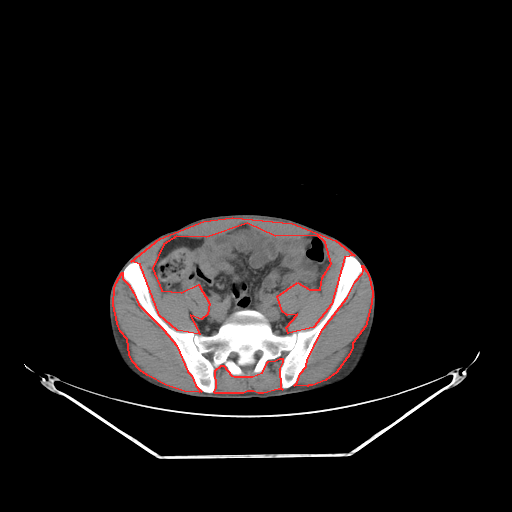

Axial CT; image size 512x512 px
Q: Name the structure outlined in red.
A: red: muscle.
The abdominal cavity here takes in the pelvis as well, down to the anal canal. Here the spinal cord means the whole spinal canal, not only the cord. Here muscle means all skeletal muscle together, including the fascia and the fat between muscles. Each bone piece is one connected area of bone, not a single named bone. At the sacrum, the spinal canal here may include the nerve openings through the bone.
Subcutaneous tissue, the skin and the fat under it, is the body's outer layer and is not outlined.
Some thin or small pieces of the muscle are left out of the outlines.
muscle 1: (232, 217) (292, 223) (335, 240) (354, 255) (344, 257) (331, 304) (313, 327) (288, 333) (286, 327) (297, 314) (287, 315) (282, 311) (277, 296) (297, 282) (309, 289) (320, 289) (322, 277) (331, 263) (325, 242) (317, 235) (275, 236) (247, 223) (206, 237) (176, 236) (163, 244) (152, 268) (161, 290) (181, 292) (198, 284) (209, 303) (207, 314) (201, 319) (190, 315) (199, 334) (177, 330) (159, 315) (140, 264) (131, 261) (160, 238) (203, 221)
muscle 2: (122, 272) (122, 278) (128, 284) (133, 292) (138, 304) (163, 329) (176, 345) (187, 371) (191, 375) (195, 385) (201, 391) (199, 392) (184, 391) (166, 385) (147, 375) (140, 370) (132, 361) (129, 354) (127, 339) (120, 331) (117, 323) (113, 304) (114, 288) (116, 282)
muscle 3: (362, 265) (368, 274) (372, 292) (371, 303) (365, 326) (352, 343) (352, 347) (349, 354) (336, 372) (325, 380) (312, 385) (308, 385) (307, 386) (294, 385) (297, 382) (300, 373) (306, 366) (307, 359) (323, 328) (347, 297) (355, 281) (362, 273) (363, 271)
muscle 4: (279, 358) (282, 358) (282, 362) (279, 368) (280, 387) (282, 389) (278, 389) (263, 393) (258, 393) (253, 391) (247, 391) (243, 393) (215, 393) (214, 392) (216, 387) (215, 370) (221, 365) (223, 365) (231, 375) (234, 376) (252, 376) (262, 372) (268, 361) (275, 360)
spinal cord 1: (248, 365) (253, 365) (253, 370) (252, 371) (250, 371) (249, 372) (245, 372) (245, 371) (242, 368) (242, 367) (243, 366) (247, 366)
spinal cord 2: (232, 352) (233, 352) (234, 352) (235, 353) (236, 353) (237, 354) (237, 355) (237, 356) (236, 357) (236, 358) (236, 359) (235, 360) (234, 360) (233, 360) (232, 359) (231, 359) (230, 358) (230, 357) (230, 356) (230, 355) (230, 354) (231, 353)
spinal cord 3: (258, 350) (259, 350) (260, 350) (261, 351) (261, 352) (261, 353) (261, 354) (260, 355) (260, 356) (260, 357) (259, 358) (258, 358) (257, 358) (256, 357) (255, 356) (255, 355) (255, 354) (255, 353) (255, 352) (256, 351) (257, 351)
abdominal cavity: (240, 224) (275, 237) (324, 242) (330, 263) (319, 289) (297, 281) (276, 296) (282, 312) (296, 314) (285, 334) (275, 333) (251, 308) (232, 312) (215, 333) (201, 334) (191, 315) (201, 320) (208, 314) (210, 298) (202, 286) (163, 291) (154, 275) (170, 239) (216, 236)
torso: (230, 213) (269, 214) (307, 224) (335, 236) (365, 262) (375, 288) (375, 313) (363, 358) (349, 376) (323, 388) (306, 392) (267, 398) (210, 398) (186, 395) (153, 385) (135, 375) (123, 363) (114, 344) (108, 313) (110, 288) (120, 268) (139, 248) (157, 236) (199, 218)
bones: (347, 255) (362, 271) (288, 388) (281, 387) (279, 357) (252, 375) (231, 374) (221, 364) (214, 370) (214, 391) (202, 391) (173, 339) (123, 278) (126, 265) (137, 262) (156, 312) (177, 331) (210, 336) (232, 313) (251, 309) (275, 334) (285, 335) (309, 330) (325, 316), around holes outlined by (248, 365) (253, 365) (253, 370) (252, 371) (250, 371) (249, 372) (245, 372) (245, 371) (242, 368) (242, 367) (243, 366) (247, 366) and by (232, 352) (233, 352) (234, 352) (235, 353) (236, 353) (237, 354) (237, 355) (237, 356) (236, 357) (236, 358) (236, 359) (235, 360) (234, 360) (233, 360) (232, 359) (231, 359) (230, 358) (230, 357) (230, 356) (230, 355) (230, 354) (231, 353) and by (258, 350) (259, 350) (260, 350) (261, 351) (261, 352) (261, 353) (261, 354) (260, 355) (260, 356) (260, 357) (259, 358) (258, 358) (257, 358) (256, 357) (255, 356) (255, 355) (255, 354) (255, 353) (255, 352) (256, 351) (257, 351)